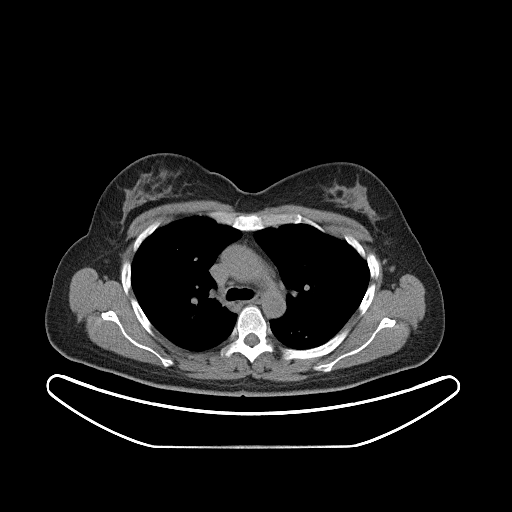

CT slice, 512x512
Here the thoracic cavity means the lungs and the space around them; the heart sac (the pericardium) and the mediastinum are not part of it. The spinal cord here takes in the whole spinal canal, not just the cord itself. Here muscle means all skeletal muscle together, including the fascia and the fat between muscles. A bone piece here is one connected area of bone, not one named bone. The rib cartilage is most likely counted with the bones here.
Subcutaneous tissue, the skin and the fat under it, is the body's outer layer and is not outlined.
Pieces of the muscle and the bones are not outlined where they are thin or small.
The muscle is outlined by 188,200 216,200 247,213 295,204 355,219 368,230 373,238 370,245 383,261 383,289 407,273 423,284 426,308 414,335 404,348 389,355 330,372 341,359 364,349 381,329 395,325 395,319 384,316 359,346 328,362 315,364 314,371 325,373 299,381 274,381 250,375 237,379 192,378 98,346 77,322 68,300 71,278 84,267 91,267 109,279 117,281 120,276 124,293 128,295 131,289 134,295 129,302 137,320 151,336 155,335 153,327 176,346 193,352 221,344 218,353 222,358 240,353 250,363 264,352 275,351 274,338 284,346 279,350 286,361 327,355 348,335 350,328 342,328 352,315 357,310 362,316 368,309 376,291 376,283 370,279 376,280 380,273 376,255 367,253 352,235 331,235 298,212 235,215 214,210 180,217 164,225 157,219 135,238 132,260 124,259 120,270 120,254 128,244 125,239 132,220 150,208, around a hole outlined by 108,310 112,310 115,312 126,333 135,341 142,345 147,346 153,349 162,357 172,360 173,364 170,366 165,367 156,355 146,349 141,348 133,344 123,335 119,326 114,321 112,320 106,320 101,317 101,313. The torso is outlined by 156,152 189,156 248,192 259,191 287,175 324,162 351,161 371,170 395,197 439,281 445,330 438,349 417,367 350,388 257,397 158,388 64,357 50,344 44,325 58,263 87,232 97,200 111,179 132,161. The bones appear in 10 outlined pieces: piece 1: 250,305 256,306 259,309 265,321 269,325 273,335 273,343 275,347 274,351 272,352 264,351 259,354 252,362 250,362 240,352 234,352 229,357 222,357 219,353 222,343 228,338 233,330 238,315 242,309; inner edge: 251,333 252,333 253,334 254,334 258,338 258,342 257,343 256,343 254,345 252,345 251,346 250,345 249,345 248,344 247,344 244,341 244,339 245,338 245,337 247,335 248,335 249,334 250,334; piece 2: 214,211 231,213 235,216 247,215 252,213 258,216 262,216 269,213 274,214 298,213 321,226 325,232 307,223 284,223 277,226 267,226 262,229 254,231 240,230 228,224 219,223 213,218 205,215 209,212; piece 3: 346,327 349,328 349,331 347,335 332,351 327,354 318,357 312,357 306,359 294,358 290,360 286,360 282,357 280,347 287,347 298,350 303,350 304,349 309,349 310,348 317,347 327,342 342,329; piece 4: 384,317 395,320 394,325 391,327 381,328 376,333 373,339 364,348 354,354 341,358 333,365 332,369 329,372 323,372 313,369 313,367 315,365 328,363 334,360 338,356 359,347 371,336 380,321; piece 5: 108,310 112,310 115,312 126,333 135,341 142,345 147,346 153,349 162,357 172,360 173,364 170,366 165,367 156,355 146,349 141,348 133,344 123,335 119,326 114,321 112,320 106,320 101,317 101,313; piece 6: 346,234 347,235 350,235 355,238 359,242 367,254 371,252 375,255 377,260 379,262 379,273 376,279 370,278 370,272 369,271 369,268 368,267 366,260 363,258 358,253 358,252 344,239 344,235; piece 7: 131,297 134,297 136,299 141,309 143,311 143,312 145,314 145,315 153,326 152,327 152,330 154,333 154,335 153,336 151,335 143,327 143,326 138,320 133,310 133,308 130,302 130,298; piece 8: 124,260 129,260 131,263 131,271 130,272 130,282 131,283 131,288 129,290 129,292 128,294 126,294 124,291 124,289 123,288 123,286 121,282 121,276 120,275 120,271 121,270 122,263 124,261; piece 9: 372,282 374,282 375,283 375,291 374,292 374,294 373,295 373,298 372,299 370,304 368,306 367,309 365,311 365,312 362,315 359,315 359,312 358,311 358,307 366,292 366,290 367,289 369,284; piece 10: 157,220 160,220 160,225 152,233 151,233 148,236 147,236 141,242 140,245 138,247 136,251 134,252 133,251 133,245 134,244 134,241 136,239 136,238 144,229 145,229 150,224 153,223. The spinal cord is outlined by 251,333 252,333 253,334 254,334 258,338 258,342 257,343 256,343 254,345 252,345 251,346 250,345 249,345 248,344 247,344 244,341 244,339 245,338 245,337 247,335 248,335 249,334 250,334. The mediastinum is outlined by 242,231 253,232 255,241 277,268 286,290 286,307 284,313 280,317 272,318 269,323 266,321 262,312 256,305 246,305 238,314 222,305 216,293 217,284 209,272 209,269 218,255 228,245 239,239 242,235. The thoracic cavity appears in 2 outlined pieces: piece 1: 192,215 204,215 219,224 228,225 241,231 240,237 228,244 208,269 216,284 217,298 222,306 237,315 236,321 225,340 215,347 201,351 193,351 176,345 154,327 135,297 131,282 132,261 142,242 159,227; piece 2: 284,224 307,224 323,233 343,239 365,260 369,272 369,283 357,309 331,338 322,344 309,348 298,349 285,346 274,337 269,324 272,319 280,318 285,313 287,290 278,268 256,241 254,232 267,227 277,227.